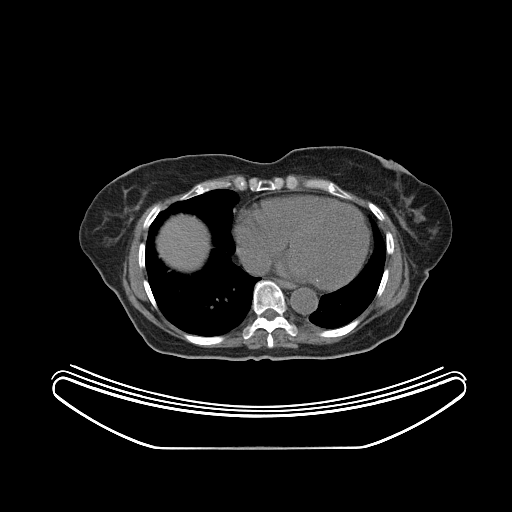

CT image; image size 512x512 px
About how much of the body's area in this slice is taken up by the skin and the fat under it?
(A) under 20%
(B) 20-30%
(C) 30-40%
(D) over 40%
Answer: (C) 30-40%
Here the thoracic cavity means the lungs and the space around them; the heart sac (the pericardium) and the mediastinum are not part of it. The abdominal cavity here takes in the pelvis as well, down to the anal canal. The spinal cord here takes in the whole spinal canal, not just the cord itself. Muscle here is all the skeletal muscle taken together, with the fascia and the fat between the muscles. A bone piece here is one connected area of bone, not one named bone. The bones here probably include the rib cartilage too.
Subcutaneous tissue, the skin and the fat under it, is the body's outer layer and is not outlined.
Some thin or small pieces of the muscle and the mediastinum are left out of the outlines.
The abdominal cavity is outlined by (178, 212) (193, 214) (197, 216) (198, 218) (202, 220) (206, 224) (211, 234) (211, 242) (213, 246) (209, 253) (207, 261) (201, 269) (189, 274) (169, 270) (158, 257) (155, 248) (155, 243) (154, 242) (155, 237) (160, 226) (162, 225) (164, 221) (171, 214) (175, 214). The muscle appears in 5 outlined pieces: piece 1: (381, 209) (388, 215) (395, 226) (399, 235) (399, 241) (401, 243) (400, 249) (406, 255) (409, 270) (409, 287) (406, 296) (395, 306) (376, 317) (357, 331) (339, 341) (329, 344) (300, 343) (296, 348) (273, 347) (274, 339) (272, 333) (275, 329) (282, 328) (287, 334) (293, 337) (296, 336) (298, 333) (298, 326) (294, 322) (290, 321) (286, 315) (288, 312) (302, 322) (307, 322) (323, 329) (318, 333) (320, 337) (334, 338) (346, 335) (353, 330) (361, 321) (361, 318) (359, 316) (373, 299) (375, 297) (378, 298) (382, 295) (389, 277) (389, 269) (385, 267) (386, 256) (391, 255) (394, 252) (395, 244) (392, 233) (387, 230) (384, 235) (384, 232) (380, 226) (379, 221) (381, 222) (385, 220) (385, 215); piece 2: (183, 192) (185, 192) (176, 201) (167, 207) (163, 209) (159, 203) (156, 203) (147, 213) (142, 223) (142, 228) (147, 230) (146, 238) (145, 241) (141, 241) (138, 245) (137, 262) (138, 266) (146, 271) (147, 279) (144, 278) (142, 280) (142, 284) (151, 305) (156, 310) (159, 310) (169, 322) (185, 332) (182, 335) (188, 342) (169, 334) (148, 320) (131, 304) (122, 284) (123, 263) (129, 253) (129, 248) (137, 221) (146, 209) (154, 203); piece 3: (249, 313) (252, 319) (241, 329) (242, 337) (245, 340) (247, 340) (254, 334) (257, 329) (260, 328) (264, 329) (267, 333) (266, 335) (267, 347) (250, 349) (245, 345) (236, 347) (199, 346) (208, 346) (221, 343) (226, 337) (224, 335) (239, 326) (245, 320); piece 4: (289, 174) (299, 174) (300, 175) (306, 175) (307, 176) (313, 176) (314, 177) (319, 177) (320, 178) (323, 178) (307, 178) (306, 179) (303, 180) (301, 183) (302, 186) (303, 187) (304, 187) (303, 187) (300, 189) (297, 189) (300, 185) (300, 181) (294, 175); piece 5: (346, 191) (348, 191) (351, 192) (352, 193) (355, 194) (357, 196) (359, 196) (362, 198) (364, 198) (365, 199) (367, 199) (368, 200) (369, 200) (366, 204) (367, 205) (367, 207) (365, 207) (364, 206) (357, 203) (355, 201) (354, 201) (354, 198) (353, 197) (353, 196) (350, 194) (347, 191). The thoracic cavity appears in 2 outlined pieces: piece 1: (228, 188) (237, 196) (232, 207) (230, 227) (235, 245) (230, 256) (231, 260) (250, 276) (259, 279) (253, 285) (250, 310) (239, 325) (220, 335) (204, 336) (188, 333) (169, 321) (158, 307) (146, 270) (145, 242) (148, 229) (158, 214) (174, 202) (187, 200) (212, 190), around a hole outlined by (178, 212) (193, 214) (197, 216) (198, 218) (202, 220) (206, 224) (211, 234) (211, 242) (213, 246) (209, 253) (207, 261) (201, 269) (189, 274) (169, 270) (158, 257) (155, 248) (155, 243) (154, 242) (155, 237) (160, 226) (162, 225) (164, 221) (171, 214) (175, 214); piece 2: (371, 221) (376, 224) (380, 233) (383, 237) (384, 236) (386, 254) (384, 268) (375, 295) (372, 300) (357, 317) (339, 327) (324, 329) (307, 321) (302, 321) (307, 320) (309, 316) (317, 309) (320, 299) (324, 294) (345, 286) (360, 272) (368, 261) (374, 249) (374, 238). The mediastinum appears in 3 outlined pieces: piece 1: (234, 253) (237, 261) (250, 273) (297, 283) (313, 289) (318, 293) (329, 292) (324, 293) (320, 297) (316, 309) (308, 316) (307, 319) (298, 319) (289, 311) (285, 295) (280, 286) (270, 279) (260, 279) (258, 276) (250, 275) (242, 267) (233, 262) (231, 256); piece 2: (232, 189) (238, 190) (239, 191) (249, 190) (252, 192) (261, 191) (277, 191) (270, 191) (269, 192) (266, 192) (261, 195) (257, 195) (244, 203) (243, 205) (239, 208) (235, 214) (235, 217) (233, 220) (232, 226) (233, 223) (233, 207) (235, 202) (238, 199) (238, 196) (236, 192); piece 3: (354, 202) (365, 208) (367, 208) (373, 214) (373, 215) (378, 220) (379, 226) (381, 228) (381, 230) (383, 232) (383, 236) (377, 224) (373, 220) (371, 220) (370, 221) (370, 225) (370, 220) (368, 218) (368, 217) (366, 215) (364, 211) (357, 204) (354, 203). The bones appear in 11 outlined pieces: piece 1: (259, 280) (270, 280) (279, 286) (288, 308) (285, 315) (290, 322) (297, 326) (297, 333) (293, 336) (282, 327) (275, 328) (271, 333) (273, 339) (272, 347) (267, 345) (268, 333) (264, 328) (257, 328) (247, 339) (242, 335) (242, 329) (253, 319) (250, 315) (253, 289) with a hole at (267, 309) (272, 309) (274, 311) (275, 311) (277, 313) (277, 315) (274, 318) (273, 318) (272, 319) (267, 319) (265, 317) (264, 317) (263, 316) (262, 316) (262, 314) (263, 313) (263, 312) (264, 312); piece 2: (287, 175) (294, 176) (299, 181) (299, 185) (294, 190) (283, 187) (277, 190) (252, 191) (249, 189) (239, 190) (231, 186) (227, 188) (212, 189) (187, 199) (178, 200) (196, 184) (211, 180) (232, 180) (237, 176) (271, 180) (275, 177) (284, 178); piece 3: (307, 179) (323, 179) (324, 180) (329, 180) (336, 184) (340, 188) (351, 195) (353, 198) (353, 200) (345, 199) (344, 198) (333, 195) (329, 193) (327, 191) (325, 191) (321, 189) (318, 189) (317, 188) (308, 188) (307, 187) (305, 187) (303, 186) (302, 183) (303, 181); piece 4: (358, 317) (360, 318) (360, 321) (359, 323) (353, 329) (352, 329) (346, 334) (340, 335) (339, 336) (335, 336) (334, 337) (325, 337) (324, 336) (320, 336) (319, 335) (319, 333) (323, 330) (325, 330) (326, 329) (335, 329) (336, 328) (342, 327) (348, 324); piece 5: (184, 333) (192, 334) (193, 335) (197, 335) (198, 336) (203, 336) (204, 337) (210, 337) (211, 336) (220, 336) (221, 335) (223, 335) (225, 337) (221, 342) (219, 342) (218, 343) (209, 344) (208, 345) (198, 345) (197, 344) (194, 344) (189, 342) (184, 337) (183, 335); piece 6: (156, 204) (159, 204) (161, 206) (162, 209) (157, 214) (157, 215) (155, 217) (153, 221) (150, 224) (148, 228) (147, 229) (145, 229) (143, 228) (143, 223) (144, 222) (144, 220) (147, 216) (150, 210) (153, 207) (153, 206); piece 7: (141, 242) (144, 242) (145, 243) (145, 268) (141, 268) (139, 266) (139, 263) (138, 262) (138, 252) (139, 251) (139, 245) (140, 244) (140, 243); piece 8: (385, 268) (387, 268) (388, 269) (388, 277) (387, 278) (387, 281) (385, 284) (385, 287) (381, 295) (377, 297) (375, 296) (376, 295) (376, 292) (378, 289) (378, 287) (379, 286) (379, 284) (380, 283) (380, 281) (381, 280) (381, 278) (382, 277) (382, 275); piece 9: (387, 231) (389, 231) (391, 233) (391, 234) (392, 235) (392, 237) (393, 238) (393, 243) (394, 244) (394, 247) (393, 248) (393, 252) (391, 254) (387, 254) (386, 253) (386, 242) (385, 241) (385, 233); piece 10: (369, 201) (370, 201) (371, 202) (372, 202) (374, 204) (375, 204) (381, 210) (381, 211) (382, 212) (382, 213) (384, 215) (384, 220) (382, 220) (381, 221) (380, 220) (379, 220) (374, 215) (374, 214) (368, 208) (368, 205) (367, 204) (368, 203) (368, 202); piece 11: (144, 279) (146, 279) (149, 284) (149, 286) (151, 289) (152, 294) (154, 297) (154, 299) (156, 302) (156, 304) (157, 305) (157, 307) (158, 308) (158, 309) (156, 309) (152, 305) (152, 304) (145, 291) (145, 289) (144, 288) (144, 285) (143, 284) (143, 280). The torso is outlined by (324, 145) (357, 147) (392, 159) (433, 186) (448, 206) (452, 221) (450, 243) (438, 263) (429, 271) (417, 301) (400, 331) (368, 351) (332, 359) (188, 359) (152, 349) (80, 247) (79, 227) (98, 191) (131, 168) (160, 158) (218, 153) (255, 162) (272, 162) (295, 148). The spinal cord is outlined by (267, 309) (272, 309) (274, 311) (275, 311) (277, 313) (277, 315) (274, 318) (273, 318) (272, 319) (267, 319) (265, 317) (264, 317) (263, 316) (262, 316) (262, 314) (263, 313) (263, 312) (264, 312). The pericardium is outlined by (278, 191) (316, 192) (335, 196) (353, 202) (363, 211) (369, 220) (371, 228) (371, 252) (359, 272) (345, 285) (330, 291) (318, 292) (313, 288) (297, 282) (250, 272) (238, 261) (235, 253) (236, 245) (232, 235) (232, 227) (236, 214) (244, 204) (253, 198) (266, 193).